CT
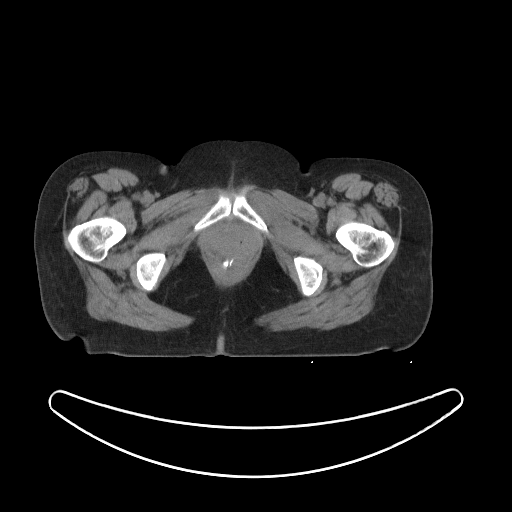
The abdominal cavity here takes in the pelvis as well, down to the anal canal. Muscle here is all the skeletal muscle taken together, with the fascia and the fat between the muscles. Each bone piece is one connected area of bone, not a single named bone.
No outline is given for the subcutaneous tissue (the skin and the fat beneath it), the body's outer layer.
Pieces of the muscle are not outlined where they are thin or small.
The torso is outlined by 214,139 277,144 303,170 316,159 350,156 386,160 410,172 427,195 433,223 433,303 419,339 399,351 331,357 127,357 89,354 79,337 60,339 42,309 33,249 38,199 52,171 93,150 141,152 174,164. The bones appear in 5 outlined pieces: piece 1: 103,216 113,217 121,222 126,228 126,233 124,237 119,242 112,246 108,250 107,255 103,260 98,263 94,263 85,260 80,257 70,246 67,241 67,236 70,230 75,225 85,222 92,218 102,217; piece 2: 350,221 356,221 357,222 362,222 369,224 378,229 384,230 391,236 394,241 394,247 390,254 382,262 371,267 368,267 367,268 366,267 363,267 359,265 353,259 352,254 336,239 335,232 337,228 342,224; piece 3: 222,194 228,196 232,201 236,194 243,194 245,196 248,203 264,220 268,228 269,234 268,235 264,233 251,224 247,223 233,215 225,217 200,230 197,233 195,233 193,231 193,228 196,222 216,202 219,196; piece 4: 148,252 162,252 165,254 165,256 166,257 166,260 163,265 163,267 159,275 157,283 155,287 150,291 147,291 143,289 143,288 139,283 137,279 137,277 136,276 136,261 143,254 147,253; piece 5: 299,255 313,258 316,261 317,261 323,268 321,282 318,288 314,292 314,293 309,296 306,296 302,294 301,292 299,279 298,278 298,276 295,269 295,266 293,262 293,258 295,256 298,256. The muscle is outlined by 108,166 131,171 160,199 185,189 254,184 281,189 307,202 336,176 366,171 397,188 398,251 382,276 372,310 356,322 329,330 268,331 254,322 298,299 296,286 267,244 250,274 233,289 216,285 199,249 192,245 151,291 167,257 162,251 145,252 135,261 142,289 195,320 168,331 99,321 86,310 86,289 64,247 62,221 66,188 75,176, around holes outlined by 222,194 228,196 232,201 236,194 243,194 248,203 264,220 269,231 268,235 251,224 247,224 259,236 259,249 245,275 228,285 222,285 218,281 201,243 202,237 212,226 210,225 197,233 193,231 196,222 and by 103,216 113,217 121,222 126,228 126,233 124,237 119,242 112,246 108,250 107,255 103,260 98,263 94,263 85,260 80,257 70,246 67,241 67,236 70,230 75,225 85,222 92,218 102,217 and by 350,221 356,221 357,222 362,222 369,224 378,229 384,230 391,236 394,241 394,247 390,254 382,262 371,267 368,267 367,268 366,267 363,267 359,265 353,259 352,254 336,239 335,232 337,228 342,224 and by 299,255 313,258 316,261 317,261 323,268 321,282 318,288 314,292 314,293 309,296 306,296 302,294 301,292 299,279 298,278 298,276 295,269 295,266 293,262 293,258 295,256 298,256. The abdominal cavity is outlined by 238,218 246,223 247,226 259,236 260,245 259,249 245,275 231,284 222,285 218,281 210,266 206,255 204,253 204,249 201,241 204,234 212,227 213,224 215,224 223,219 236,220.